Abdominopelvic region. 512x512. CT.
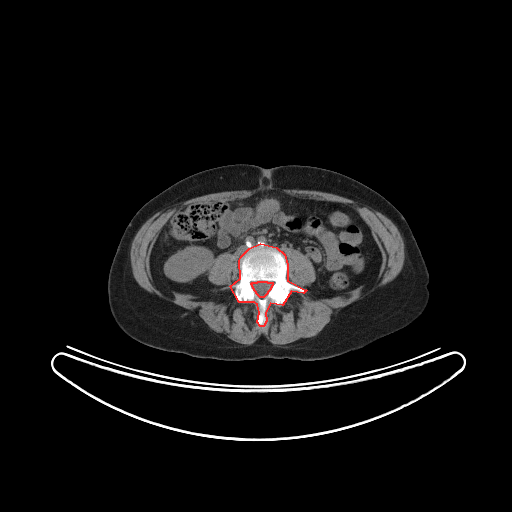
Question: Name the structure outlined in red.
Answer: red: bones.
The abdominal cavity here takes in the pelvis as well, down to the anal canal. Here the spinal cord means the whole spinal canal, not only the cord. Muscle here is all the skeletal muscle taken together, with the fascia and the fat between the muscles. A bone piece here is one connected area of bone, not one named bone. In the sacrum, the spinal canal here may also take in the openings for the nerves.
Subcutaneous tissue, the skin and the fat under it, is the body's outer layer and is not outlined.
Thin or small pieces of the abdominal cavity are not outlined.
The bones are outlined by (260, 243) (276, 247) (284, 254) (287, 264) (287, 280) (306, 290) (303, 293) (291, 291) (282, 305) (270, 303) (265, 312) (266, 321) (263, 326) (260, 326) (257, 322) (259, 312) (257, 304) (254, 302) (239, 302) (230, 286) (240, 278) (239, 260) (241, 256) (249, 248), around a hole outlined by (258, 281) (266, 281) (267, 282) (272, 282) (272, 285) (271, 286) (271, 287) (270, 288) (270, 289) (267, 292) (267, 293) (263, 297) (260, 297) (256, 293) (256, 292) (254, 290) (254, 289) (253, 288) (253, 287) (251, 284) (251, 283) (252, 282) (257, 282). The muscle appears in 2 outlined pieces: piece 1: (269, 186) (336, 194) (363, 203) (390, 219) (404, 243) (404, 263) (393, 280) (342, 308) (317, 335) (284, 345) (273, 344) (262, 335) (249, 345) (235, 342) (224, 334) (210, 329) (195, 313) (148, 292) (137, 283) (131, 269) (131, 244) (141, 226) (158, 210) (210, 193); inner edge: (268, 190) (354, 209) (381, 253) (371, 285) (332, 297) (291, 291) (282, 305) (268, 305) (263, 326) (257, 304) (239, 302) (230, 286) (240, 278) (237, 253) (215, 258) (207, 279) (217, 287) (209, 295) (172, 290) (171, 297) (158, 287) (150, 256) (174, 214) (188, 205); piece 2: (291, 248) (292, 249) (298, 250) (302, 254) (305, 255) (311, 262) (315, 270) (315, 280) (310, 285) (307, 286) (305, 288) (304, 287) (296, 285) (290, 282) (287, 278) (287, 271) (288, 270) (288, 264) (287, 263) (287, 260) (286, 259) (285, 252) (286, 250) (290, 249). The torso is outlined by (238, 163) (265, 168) (289, 164) (325, 168) (349, 176) (387, 199) (408, 223) (429, 272) (430, 295) (423, 312) (404, 328) (362, 348) (312, 361) (197, 358) (150, 347) (126, 335) (110, 312) (107, 279) (115, 250) (130, 220) (147, 201) (177, 181) (202, 170). The abdominal cavity is outlined by (268, 190) (354, 209) (381, 253) (371, 285) (314, 297) (306, 289) (316, 280) (309, 258) (295, 248) (284, 253) (260, 242) (240, 257) (223, 252) (215, 258) (207, 279) (217, 287) (209, 295) (172, 290) (171, 297) (158, 287) (150, 256) (174, 214) (188, 205) (244, 199). The spinal cord is outlined by (258, 281) (266, 281) (267, 282) (272, 282) (272, 285) (271, 286) (271, 287) (270, 288) (270, 289) (267, 292) (267, 293) (263, 297) (260, 297) (256, 293) (256, 292) (254, 290) (254, 289) (253, 288) (253, 287) (251, 284) (251, 283) (252, 282) (257, 282).